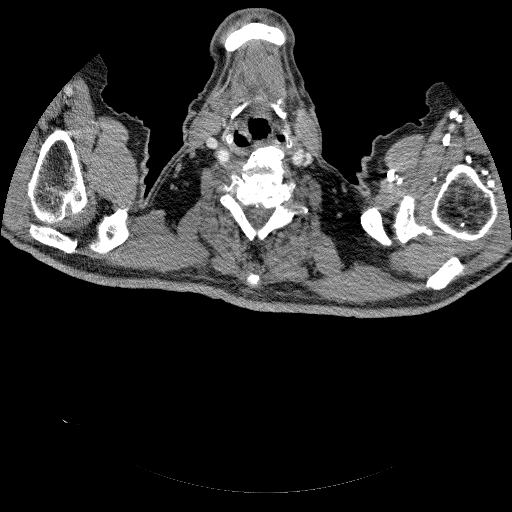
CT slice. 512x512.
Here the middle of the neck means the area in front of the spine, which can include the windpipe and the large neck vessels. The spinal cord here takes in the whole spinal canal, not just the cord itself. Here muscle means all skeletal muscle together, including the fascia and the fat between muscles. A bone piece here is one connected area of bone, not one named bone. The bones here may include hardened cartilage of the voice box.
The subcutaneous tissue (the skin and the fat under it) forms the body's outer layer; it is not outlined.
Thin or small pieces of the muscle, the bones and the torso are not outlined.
Outlines (x, y in pixels):
spinal cord: [[249,205],[253,205],[257,208],[258,208],[259,206],[262,206],[264,208],[266,208],[267,209],[273,209],[268,219],[264,223],[264,224],[261,227],[259,228],[255,228],[252,225],[252,224],[247,218],[244,212],[244,210],[242,206],[248,206]]
right arm: [[96,56],[102,58],[107,68],[107,84],[101,93],[103,100],[117,112],[126,111],[142,119],[150,129],[149,157],[146,162],[148,172],[144,182],[138,191],[123,204],[84,225],[19,226],[6,221],[4,211],[12,178],[35,126],[57,94],[77,72]]
head and neck: [[246,7],[272,9],[280,13],[290,25],[294,36],[294,60],[303,78],[304,87],[314,105],[314,113],[322,133],[322,148],[226,149],[196,142],[183,131],[182,125],[188,107],[203,89],[212,73],[214,63],[210,55],[210,47],[218,26],[230,13]]
bones 1: [[57,128],[66,130],[73,142],[88,197],[81,211],[74,214],[70,213],[62,220],[50,225],[77,240],[76,249],[78,252],[72,254],[44,245],[32,238],[29,233],[31,223],[46,224],[35,216],[31,208],[27,196],[27,183],[35,167],[42,144]]
bones 2: [[285,123],[291,132],[292,145],[284,149],[283,179],[295,184],[287,205],[305,206],[308,211],[295,215],[289,224],[263,240],[251,241],[219,202],[224,193],[220,186],[230,184],[232,173],[241,173],[242,164],[258,147],[283,147],[285,137],[281,130]], around a hole outlined by [[249,205],[253,205],[257,208],[258,208],[259,206],[262,206],[264,208],[266,208],[267,209],[273,209],[268,219],[264,223],[264,224],[261,227],[259,228],[255,228],[252,225],[252,224],[247,218],[244,212],[244,210],[242,206],[248,206]]
bones 3: [[458,163],[464,163],[468,166],[475,166],[478,175],[486,187],[494,193],[497,206],[497,216],[487,232],[483,236],[473,240],[462,240],[449,234],[443,233],[439,228],[434,225],[431,219],[430,211],[433,205],[434,198],[445,180],[446,174],[454,165]]
bones 4: [[127,207],[128,208],[128,213],[129,214],[128,225],[131,230],[129,236],[122,243],[116,246],[106,253],[98,253],[91,250],[88,247],[88,244],[96,239],[97,237],[97,224],[101,221],[102,218],[105,215],[109,215],[113,213],[117,209],[123,209]]
bones 5: [[250,22],[261,22],[262,23],[265,23],[269,25],[272,25],[273,26],[278,27],[285,33],[286,38],[284,43],[281,45],[277,45],[264,39],[249,39],[233,51],[229,53],[227,53],[223,44],[223,39],[228,33],[236,29],[238,29],[242,25]]
bones 6: [[407,194],[409,194],[414,198],[413,214],[415,221],[420,225],[427,225],[432,228],[434,230],[435,234],[438,235],[430,238],[424,234],[420,234],[404,244],[401,244],[396,238],[392,227],[392,223],[394,220],[394,216],[397,211],[400,200],[404,195]]
bones 7: [[452,256],[455,256],[457,257],[460,261],[460,262],[463,265],[463,271],[462,273],[461,274],[456,275],[445,287],[439,290],[433,290],[430,288],[428,289],[427,288],[425,288],[425,283],[426,282],[427,278],[430,275],[431,275],[446,260],[447,260]]
bones 8: [[367,207],[375,207],[381,215],[381,222],[382,223],[382,225],[384,228],[384,230],[391,240],[391,244],[390,245],[385,246],[381,244],[377,240],[376,240],[374,238],[370,236],[363,229],[361,225],[361,223],[360,222],[360,214],[361,212]]
bones 9: [[250,271],[252,271],[253,272],[255,272],[256,273],[259,274],[259,275],[260,276],[260,279],[259,280],[259,281],[258,282],[257,285],[256,285],[255,286],[251,286],[250,285],[248,285],[246,283],[246,277],[247,276],[248,273]]
bones 10: [[271,101],[274,103],[278,103],[280,105],[280,106],[282,108],[282,109],[284,111],[285,111],[285,112],[286,113],[286,117],[284,120],[283,120],[279,117],[278,117],[275,113],[274,110],[269,105],[269,102],[270,102]]
bones 11: [[244,100],[249,100],[250,101],[250,103],[238,115],[237,115],[234,118],[232,118],[232,113],[231,112],[232,111],[232,110],[234,108],[235,108],[238,105],[239,105]]
left arm: [[436,82],[442,82],[448,87],[471,118],[493,160],[503,190],[508,216],[508,226],[511,229],[511,263],[496,275],[478,274],[462,267],[444,256],[423,236],[412,214],[409,200],[412,149],[417,135],[419,118],[425,115],[429,109],[425,103],[426,91]]
muscle 1: [[249,40],[284,45],[294,84],[317,129],[320,162],[359,191],[380,183],[383,154],[392,143],[405,135],[429,132],[446,108],[461,103],[493,160],[511,229],[510,250],[486,268],[454,281],[435,299],[362,303],[257,294],[207,280],[101,266],[29,243],[7,229],[4,211],[20,156],[48,106],[76,73],[90,89],[95,114],[111,116],[130,130],[139,168],[137,198],[150,202],[187,150],[194,120],[220,81],[227,54]], around holes outlined by [[257,96],[268,104],[278,103],[286,113],[292,145],[284,149],[283,179],[295,184],[287,205],[305,206],[308,211],[263,240],[251,241],[219,202],[224,193],[220,186],[229,185],[230,175],[239,175],[247,160],[222,161],[206,142],[225,127],[234,108]] and by [[57,128],[66,130],[73,142],[88,197],[81,211],[74,214],[70,213],[62,220],[50,225],[77,240],[76,249],[78,252],[72,254],[44,245],[32,238],[29,233],[31,223],[46,224],[35,216],[31,208],[27,196],[27,183],[35,167],[42,144]] and by [[458,163],[464,163],[468,166],[475,166],[478,175],[486,187],[494,193],[497,206],[497,216],[487,232],[483,236],[473,240],[462,240],[449,234],[443,233],[439,228],[434,225],[431,219],[430,211],[433,205],[434,198],[445,180],[446,174],[454,165]] and by [[127,207],[128,208],[128,213],[129,214],[128,225],[131,230],[129,236],[122,243],[116,246],[106,253],[98,253],[91,250],[88,247],[88,244],[96,239],[97,237],[97,224],[101,221],[102,218],[105,215],[109,215],[113,213],[117,209],[123,209]] and by [[407,194],[409,194],[414,198],[413,214],[415,221],[420,225],[427,225],[432,228],[434,230],[435,234],[438,235],[430,238],[424,234],[420,234],[404,244],[401,244],[396,238],[392,227],[392,223],[394,220],[394,216],[397,211],[400,200],[404,195]] and by [[452,256],[455,256],[457,257],[460,261],[460,262],[463,265],[463,271],[462,273],[461,274],[456,275],[445,287],[439,290],[433,290],[430,288],[428,289],[427,288],[425,288],[425,283],[426,282],[427,278],[430,275],[431,275],[446,260],[447,260]] and by [[367,207],[375,207],[381,215],[381,222],[382,223],[382,225],[384,228],[384,230],[391,240],[391,244],[390,245],[385,246],[381,244],[377,240],[376,240],[374,238],[370,236],[363,229],[361,225],[361,223],[360,222],[360,214],[361,212]] and by [[250,271],[252,271],[253,272],[255,272],[256,273],[259,274],[259,275],[260,276],[260,279],[259,280],[259,281],[258,282],[257,285],[256,285],[255,286],[251,286],[250,285],[248,285],[246,283],[246,277],[247,276],[248,273]]
muscle 2: [[251,12],[261,12],[262,13],[265,13],[269,16],[275,18],[283,25],[284,27],[284,31],[276,25],[269,24],[261,21],[250,21],[242,24],[238,28],[236,28],[228,32],[223,38],[222,37],[223,31],[231,21],[239,18],[243,14],[250,13]]
torso: [[408,121],[418,124],[408,200],[419,232],[462,268],[494,276],[431,312],[357,318],[254,311],[194,292],[104,286],[36,260],[0,233],[3,220],[19,227],[97,221],[145,182],[149,191],[184,133],[226,150],[322,149],[323,158],[356,183],[372,140]]
middle of the neck: [[253,100],[260,100],[267,103],[278,118],[286,121],[280,130],[284,137],[284,145],[280,146],[275,144],[267,144],[264,146],[258,146],[249,154],[246,159],[228,159],[222,161],[215,156],[207,147],[207,140],[221,131],[231,118],[234,119],[238,116]] with a hole at [[229,132],[231,132],[232,133],[232,135],[233,136],[233,142],[234,143],[231,146],[229,146],[227,144],[227,143],[226,142],[226,141],[225,140],[225,139],[224,138],[224,135],[225,135],[227,133],[228,133]]